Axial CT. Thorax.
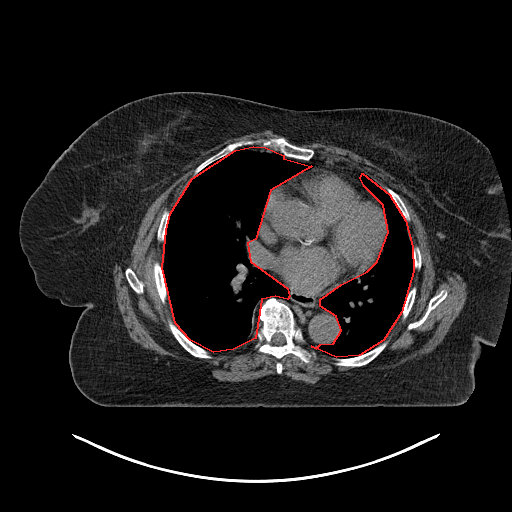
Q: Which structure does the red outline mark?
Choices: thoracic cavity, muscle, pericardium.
A: red: thoracic cavity.
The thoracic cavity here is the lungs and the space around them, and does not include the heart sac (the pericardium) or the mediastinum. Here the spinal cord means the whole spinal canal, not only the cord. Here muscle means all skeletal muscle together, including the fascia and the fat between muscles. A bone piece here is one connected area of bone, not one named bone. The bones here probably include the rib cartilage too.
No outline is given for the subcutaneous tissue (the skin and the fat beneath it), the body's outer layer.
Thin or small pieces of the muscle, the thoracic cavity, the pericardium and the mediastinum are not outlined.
{"thoracic_cavity":[[[253,146],[265,147],[283,155],[283,158],[311,166],[270,190],[255,239],[247,243],[250,261],[287,288],[289,296],[287,299],[275,296],[261,299],[255,338],[233,349],[213,352],[190,340],[175,323],[162,267],[166,230],[170,213],[192,178],[235,150]],[[362,173],[389,194],[405,220],[412,246],[413,271],[401,312],[383,340],[359,355],[336,357],[311,346],[316,348],[320,344],[333,343],[341,330],[336,316],[320,306],[320,299],[341,284],[367,271],[377,261],[388,232],[383,205],[364,186],[360,178]]],"muscle":[{"outer":[[267,130],[282,136],[236,140],[202,161],[172,209],[163,209],[156,230],[156,240],[163,244],[163,263],[153,262],[153,278],[160,301],[164,305],[169,300],[174,322],[169,318],[167,326],[181,347],[195,358],[211,359],[211,352],[233,350],[255,339],[255,350],[277,360],[276,374],[244,381],[220,381],[201,365],[161,355],[129,337],[115,299],[112,271],[116,263],[131,257],[137,230],[148,207],[188,163],[228,138]],"hole":[[127,268],[131,268],[135,273],[136,276],[143,283],[143,288],[144,289],[144,292],[143,293],[142,293],[141,294],[139,294],[138,293],[135,292],[134,291],[134,290],[128,283],[128,281],[127,280],[127,279],[126,278],[126,276],[125,275],[125,270]]},{"outer":[[313,142],[366,158],[413,196],[408,199],[427,232],[436,275],[443,278],[447,270],[461,275],[467,298],[443,340],[428,353],[387,369],[328,374],[306,383],[281,374],[284,356],[292,354],[307,364],[317,351],[338,367],[367,365],[388,345],[384,339],[400,315],[404,321],[411,311],[417,293],[417,286],[410,286],[412,275],[422,268],[421,250],[411,243],[411,217],[401,196],[343,161],[314,157],[312,148],[301,145]],"hole":[[444,289],[447,291],[447,295],[446,297],[429,313],[428,316],[423,323],[415,328],[413,328],[412,329],[407,329],[407,326],[410,323],[418,320],[424,314],[427,309],[427,306],[428,305],[428,302],[429,300],[433,296],[438,294],[441,290],[443,290]]}],"torso":[[[173,91],[218,93],[294,110],[409,110],[456,124],[485,144],[505,199],[511,274],[497,340],[481,346],[475,385],[465,402],[440,407],[119,407],[97,404],[80,392],[68,353],[84,308],[40,291],[20,245],[20,216],[53,162],[89,125],[127,102]]],"spinal_cord":[[[275,333],[281,333],[284,336],[284,337],[285,338],[285,342],[283,344],[282,344],[281,345],[276,345],[275,344],[273,344],[272,343],[272,337],[273,336],[273,335]]],"pericardium":[[[318,169],[330,169],[342,172],[356,181],[375,200],[377,200],[382,205],[381,210],[384,216],[384,232],[375,257],[365,267],[334,287],[320,293],[314,293],[289,285],[277,275],[270,256],[262,246],[258,239],[258,235],[270,195],[297,179],[299,176]]],"bones":[{"outer":[[269,297],[280,299],[289,306],[303,337],[316,351],[316,356],[312,357],[307,363],[292,353],[284,355],[279,360],[282,365],[280,374],[276,371],[278,360],[273,355],[260,352],[254,348],[256,342],[255,331],[260,326],[258,318],[259,307],[261,302]],"hole":[[275,333],[281,333],[284,336],[284,337],[285,338],[285,342],[283,344],[282,344],[281,345],[276,345],[275,344],[273,344],[272,343],[272,337],[273,336],[273,335]]},[[276,137],[283,137],[287,141],[293,144],[312,149],[314,151],[314,156],[309,160],[290,158],[279,152],[273,151],[265,146],[259,145],[244,146],[237,148],[226,155],[211,162],[192,177],[194,170],[202,162],[230,143],[240,140],[259,138],[269,139]],[[384,340],[388,340],[388,343],[385,348],[374,359],[365,365],[362,366],[356,366],[355,367],[352,367],[351,366],[338,366],[335,365],[333,363],[333,361],[331,358],[331,357],[335,357],[336,358],[351,358],[352,357],[359,356],[370,351],[380,344]],[[169,319],[171,320],[176,325],[176,326],[181,331],[181,332],[190,341],[191,341],[194,344],[210,352],[210,353],[212,355],[212,357],[211,358],[200,358],[199,357],[195,357],[190,354],[186,350],[185,350],[172,334],[168,326],[168,320]],[[444,289],[447,291],[447,295],[446,297],[429,313],[428,316],[423,323],[415,328],[413,328],[412,329],[407,329],[407,326],[410,323],[418,320],[424,314],[427,309],[427,306],[428,305],[428,302],[429,300],[433,296],[438,294],[441,290],[443,290]],[[155,261],[157,261],[160,264],[162,268],[163,278],[164,279],[165,287],[166,288],[166,292],[167,293],[167,297],[168,298],[164,304],[161,301],[161,299],[159,296],[159,294],[156,287],[155,279],[154,278],[154,274],[153,273],[153,264]],[[127,268],[131,268],[135,273],[136,276],[143,283],[143,288],[144,289],[144,292],[143,293],[142,293],[141,294],[139,294],[138,293],[135,292],[134,291],[134,290],[128,283],[128,281],[127,280],[127,279],[126,278],[126,276],[125,275],[125,270]],[[385,187],[388,187],[390,188],[392,190],[396,192],[400,196],[401,199],[403,201],[403,202],[406,206],[406,208],[408,211],[408,213],[410,217],[410,220],[408,222],[407,222],[404,218],[400,209],[394,202],[390,194],[385,189]],[[166,208],[168,209],[170,212],[169,213],[169,216],[168,217],[168,220],[167,221],[167,225],[166,226],[166,229],[165,230],[165,236],[164,237],[164,241],[163,243],[159,243],[157,240],[157,230],[160,223],[160,220],[161,219],[162,213],[164,209]],[[412,286],[416,286],[416,293],[415,294],[415,298],[414,299],[413,304],[411,307],[411,309],[408,313],[406,318],[404,320],[402,320],[401,319],[401,313],[402,312],[402,310],[403,309],[405,301],[407,298],[408,293],[410,290],[410,288]],[[415,245],[417,245],[419,247],[419,249],[420,250],[420,253],[421,254],[421,268],[419,270],[416,270],[415,269],[414,269],[414,261],[413,260],[413,246],[414,246]]],"mediastinum":[[[313,158],[363,172],[359,178],[365,188],[337,169],[305,172],[273,191],[272,192],[269,195],[263,211],[257,235],[257,239],[287,285],[314,294],[339,285],[318,302],[337,319],[339,335],[316,347],[308,343],[283,300],[289,298],[289,289],[256,266],[248,250],[256,239],[263,208],[271,190],[312,167],[292,159]],[[383,211],[386,215],[387,232],[382,246],[382,249],[376,261],[375,261],[367,270],[361,274],[356,275],[344,282],[354,274],[356,274],[359,271],[365,268],[372,261],[373,261],[376,257],[379,251],[381,245],[381,242],[385,232],[385,216]]]}